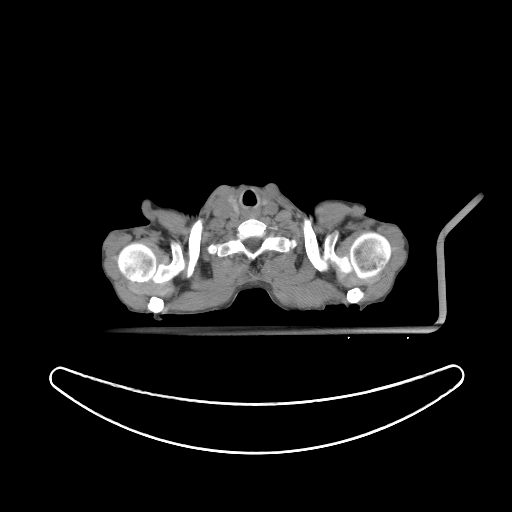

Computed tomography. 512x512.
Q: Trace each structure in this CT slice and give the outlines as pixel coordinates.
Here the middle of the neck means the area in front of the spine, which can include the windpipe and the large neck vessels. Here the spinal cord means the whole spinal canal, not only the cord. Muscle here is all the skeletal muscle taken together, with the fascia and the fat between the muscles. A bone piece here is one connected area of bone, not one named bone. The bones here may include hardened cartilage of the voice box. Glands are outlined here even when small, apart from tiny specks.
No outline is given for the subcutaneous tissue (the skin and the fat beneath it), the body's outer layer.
A: {"torso":[[[323,198],[341,198],[364,204],[349,230],[349,263],[360,284],[384,299],[383,301],[362,310],[359,310],[357,305],[349,308],[343,305],[330,305],[321,311],[287,311],[277,306],[266,293],[281,288],[301,268],[307,245],[306,210],[311,209],[314,202]],[[144,198],[149,198],[161,206],[173,207],[190,213],[196,212],[198,242],[209,270],[220,284],[241,291],[229,307],[192,315],[164,315],[160,320],[154,319],[149,313],[139,313],[152,295],[159,270],[157,249],[146,224],[148,220],[142,214],[140,207]]],"muscle":[{"outer":[[269,185],[307,215],[312,215],[322,202],[335,201],[359,206],[362,219],[376,226],[395,227],[403,238],[405,256],[381,296],[360,301],[365,293],[353,286],[346,291],[345,300],[332,299],[319,306],[288,305],[276,297],[268,284],[248,283],[238,286],[222,304],[193,311],[164,311],[164,299],[158,295],[148,299],[147,309],[133,308],[121,297],[105,268],[105,242],[112,233],[151,228],[149,206],[195,217],[219,188],[247,187],[216,205],[219,215],[244,219],[225,240],[208,244],[206,251],[220,258],[241,253],[252,262],[266,251],[288,253],[294,249],[298,244],[295,238],[276,233],[275,225],[268,226],[257,218],[272,216],[278,210],[278,204],[268,195],[251,188]],"holes":[[[304,216],[312,219],[312,228],[321,251],[325,237],[336,230],[338,238],[334,252],[339,257],[348,254],[351,244],[360,234],[374,231],[388,240],[391,247],[389,260],[377,275],[365,279],[353,272],[338,272],[332,266],[325,272],[318,271],[305,250]],[[198,217],[203,220],[199,256],[194,271],[189,278],[182,271],[162,283],[134,282],[120,272],[117,265],[117,256],[120,250],[131,242],[145,244],[151,248],[158,262],[167,265],[172,259],[170,242],[174,240],[180,244],[183,256],[187,260],[190,229]]]}],"right_arm":[[[137,225],[146,225],[149,229],[154,246],[156,249],[157,262],[158,263],[156,281],[153,286],[151,295],[143,309],[138,313],[129,311],[118,299],[111,284],[104,275],[100,265],[101,245],[102,244],[102,240],[106,234],[110,230],[113,229],[125,228]]],"spinal_cord":[[[251,237],[257,237],[258,238],[260,238],[261,239],[261,242],[260,243],[260,245],[254,251],[251,251],[249,249],[248,249],[245,246],[245,245],[244,244],[244,243],[243,242],[246,239],[247,239],[248,238],[250,238]]],"left_arm":[[[365,205],[366,207],[366,212],[365,213],[368,216],[371,216],[382,221],[395,223],[402,230],[409,242],[409,255],[407,262],[403,269],[398,274],[391,292],[385,299],[371,292],[361,284],[357,276],[353,271],[350,263],[350,258],[349,257],[350,230]]],"head_and_neck":[[[268,182],[275,183],[292,202],[305,210],[306,245],[301,266],[292,278],[273,291],[266,292],[262,289],[249,289],[242,291],[225,286],[217,281],[210,270],[201,248],[198,236],[197,211],[214,188],[220,184],[225,183],[237,185],[245,183],[261,186]]],"middle_of_the_neck":[[[249,188],[260,194],[263,207],[271,200],[277,204],[278,207],[274,214],[245,219],[243,217],[234,217],[231,215],[225,217],[217,212],[217,205],[227,202],[231,205],[232,211],[238,215],[240,212],[237,203],[237,195],[243,190]]],"thyroid_glands":[[[231,195],[236,195],[236,203],[238,206],[238,211],[239,212],[239,213],[238,214],[236,214],[233,211],[233,207],[232,206],[232,205],[231,204],[230,204],[230,203],[227,201],[227,200],[228,199],[228,197]],[[261,194],[265,194],[267,196],[268,196],[270,198],[270,201],[269,201],[264,206],[263,206],[263,205],[262,204],[262,198],[261,197]]],"bones":[[[304,216],[312,219],[312,228],[321,251],[325,237],[336,230],[338,238],[334,252],[339,257],[348,254],[351,244],[360,234],[374,231],[388,240],[391,247],[389,260],[377,275],[365,279],[353,272],[338,272],[332,266],[325,272],[318,271],[305,250]],[[198,217],[203,220],[199,256],[194,271],[189,278],[182,271],[162,283],[134,282],[120,272],[117,265],[117,256],[120,250],[131,242],[145,244],[151,248],[158,262],[167,265],[172,259],[170,242],[174,240],[180,244],[183,256],[187,260],[190,229]],{"outer":[[249,218],[258,219],[265,223],[268,227],[275,226],[277,228],[275,231],[276,234],[295,239],[297,241],[296,246],[288,252],[266,250],[252,261],[241,252],[222,257],[209,253],[207,251],[208,245],[211,243],[225,241],[235,232],[236,228],[242,221]],"hole":[[251,237],[257,237],[258,238],[260,238],[261,239],[261,242],[260,243],[260,245],[254,251],[251,251],[249,249],[248,249],[245,246],[245,245],[244,244],[244,243],[243,242],[246,239],[247,239],[248,238],[250,238]]},[[152,296],[158,296],[159,297],[160,297],[163,299],[163,301],[164,302],[164,306],[163,307],[163,312],[158,312],[157,313],[156,313],[155,312],[152,312],[151,311],[150,311],[147,308],[147,304],[149,301],[149,299]],[[353,287],[358,287],[364,293],[364,295],[363,296],[363,297],[359,301],[358,301],[357,302],[356,302],[355,303],[350,303],[349,302],[348,302],[346,300],[346,293],[347,292],[347,291],[350,288],[352,288]]]}